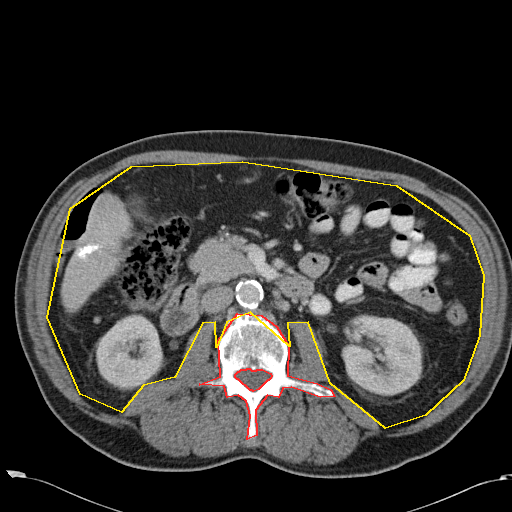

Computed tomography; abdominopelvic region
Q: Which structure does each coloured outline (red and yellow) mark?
A: red: bones; yellow: abdominal cavity.
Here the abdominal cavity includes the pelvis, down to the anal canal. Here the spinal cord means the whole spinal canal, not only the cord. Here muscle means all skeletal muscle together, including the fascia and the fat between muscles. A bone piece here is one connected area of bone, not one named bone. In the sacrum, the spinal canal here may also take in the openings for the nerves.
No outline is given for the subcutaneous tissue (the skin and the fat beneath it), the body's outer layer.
The bones are outlined by (237, 313) (261, 315) (276, 326) (288, 345) (287, 375) (317, 383) (330, 389) (334, 396) (320, 397) (291, 387) (282, 388) (278, 397) (267, 395) (255, 410) (256, 435) (247, 439) (250, 415) (246, 401) (238, 395) (227, 397) (224, 386) (199, 384) (220, 376) (218, 340) with a hole at (247, 368) (249, 368) (251, 370) (256, 370) (257, 369) (262, 369) (270, 373) (271, 376) (270, 378) (268, 380) (267, 380) (258, 389) (253, 391) (252, 390) (250, 390) (238, 379) (237, 379) (235, 377) (235, 374) (238, 371) (239, 371) (241, 369) (246, 369). The abdominal cavity is outlined by (242, 161) (396, 185) (469, 235) (483, 275) (479, 335) (463, 380) (425, 415) (385, 428) (330, 383) (308, 322) (287, 323) (289, 346) (250, 312) (226, 322) (216, 347) (215, 322) (202, 323) (174, 377) (143, 385) (121, 412) (80, 394) (47, 317) (70, 208) (131, 166). The muscle is outlined by (158, 150) (187, 150) (188, 151) (236, 154) (243, 156) (276, 156) (292, 159) (311, 159) (349, 165) (355, 167) (367, 168) (373, 170) (395, 172) (414, 177) (439, 190) (452, 194) (467, 203) (486, 223) (493, 233) (501, 251) (502, 260) (504, 264) (507, 279) (508, 297) (507, 298) (507, 311) (505, 318) (503, 339) (493, 362) (481, 383) (459, 407) (441, 421) (420, 431) (407, 435) (395, 436) (391, 438) (381, 438) (377, 436) (370, 436) (364, 440) (360, 441) (354, 450) (342, 460) (333, 464) (326, 464) (325, 465) (322, 464) (317, 465) (314, 463) (309, 463) (306, 461) (303, 461) (300, 463) (288, 462) (268, 453) (263, 447) (257, 447) (256, 448) (238, 447) (233, 451) (214, 457) (171, 456) (165, 453) (162, 453) (154, 448) (131, 428) (115, 428) (112, 425) (91, 417) (77, 408) (73, 402) (65, 397) (54, 386) (44, 369) (39, 364) (33, 350) (33, 342) (27, 329) (24, 310) (25, 307) (24, 287) (26, 283) (27, 266) (30, 254) (46, 216) (51, 208) (72, 185) (83, 178) (90, 177) (99, 171) (107, 169) (111, 165) (123, 158) (134, 154); inner edge: (242, 161) (396, 185) (469, 235) (479, 335) (463, 380) (425, 415) (382, 426) (330, 383) (324, 346) (298, 319) (286, 373) (334, 396) (263, 397) (252, 438) (246, 401) (199, 384) (221, 374) (210, 319) (174, 377) (123, 411) (80, 394) (47, 317) (70, 208) (131, 166). The torso is outlined by (204, 129) (306, 135) (385, 148) (444, 171) (484, 203) (511, 254) (511, 351) (487, 403) (446, 445) (395, 469) (361, 477) (302, 476) (254, 458) (196, 471) (151, 471) (109, 458) (54, 416) (23, 353) (14, 317) (17, 265) (37, 213) (53, 189) (88, 159) (146, 136). The spinal cord is outlined by (247, 368) (249, 368) (251, 370) (256, 370) (257, 369) (262, 369) (270, 373) (271, 376) (270, 378) (268, 380) (267, 380) (258, 389) (253, 391) (252, 390) (250, 390) (238, 379) (237, 379) (235, 377) (235, 374) (238, 371) (239, 371) (241, 369) (246, 369).